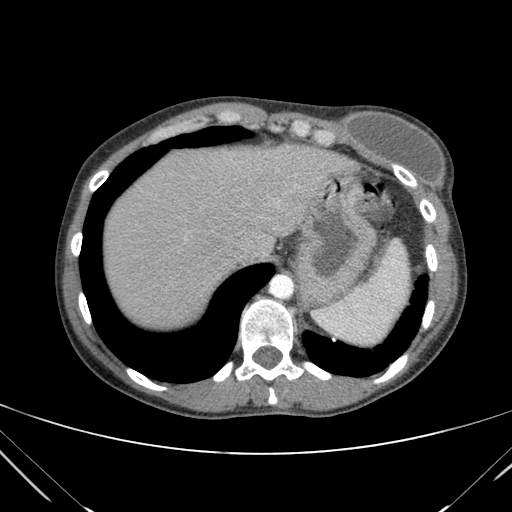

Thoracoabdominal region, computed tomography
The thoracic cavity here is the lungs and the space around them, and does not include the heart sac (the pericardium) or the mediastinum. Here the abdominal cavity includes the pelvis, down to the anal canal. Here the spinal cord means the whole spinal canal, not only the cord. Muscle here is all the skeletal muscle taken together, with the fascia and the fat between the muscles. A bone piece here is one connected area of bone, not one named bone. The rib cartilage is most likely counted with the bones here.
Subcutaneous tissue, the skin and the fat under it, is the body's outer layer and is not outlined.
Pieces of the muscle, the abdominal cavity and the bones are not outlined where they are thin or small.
Outlines (x, y in pixels):
breast implant: [[432,183],[435,183],[441,180],[443,165],[441,161],[438,147],[420,131],[404,121],[397,120],[393,118],[390,118],[371,112],[365,112],[343,119],[343,123],[346,132],[369,151],[398,166],[400,166],[408,170],[410,173],[413,174],[418,178]]
thoracic cavity 1: [[167,382],[209,377],[229,359],[240,313],[274,268],[266,263],[236,272],[193,328],[147,333],[132,326],[110,297],[101,269],[102,221],[114,198],[170,148],[249,136],[240,125],[212,125],[140,148],[93,194],[86,214],[79,264],[93,323],[127,365]]
thoracic cavity 2: [[356,377],[368,376],[384,370],[408,347],[420,325],[427,299],[427,274],[421,275],[416,281],[411,297],[411,304],[392,332],[383,344],[373,350],[359,349],[337,342],[333,343],[326,338],[308,331],[303,332],[300,336],[297,335],[309,360],[332,373]]
bones 1: [[214,381],[232,372],[238,380],[258,374],[266,381],[280,374],[292,380],[304,371],[323,380],[333,374],[308,360],[294,363],[291,351],[298,340],[293,314],[262,297],[241,313],[233,351],[241,351],[241,363],[236,367],[233,359],[228,360],[211,376]], around a hole outlined by [[268,369],[273,367],[279,362],[279,361],[281,359],[281,353],[276,348],[274,347],[271,347],[270,346],[268,347],[266,347],[265,346],[264,347],[261,347],[259,348],[254,353],[253,355],[253,358],[256,362],[257,362],[259,364],[262,365],[264,367]]
bones 2: [[142,147],[151,144],[155,144],[161,140],[172,136],[175,136],[181,133],[191,132],[206,127],[209,125],[209,123],[212,119],[210,117],[200,115],[196,117],[193,117],[189,119],[179,121],[168,126],[159,127],[153,131],[146,139],[142,142],[141,144]]
bones 3: [[325,146],[329,146],[334,142],[335,140],[335,134],[333,132],[323,129],[315,129],[312,131],[311,130],[311,126],[306,120],[296,119],[292,121],[290,124],[290,130],[297,136],[299,137],[306,137],[311,133],[312,137],[317,143],[320,145],[324,145]]
bones 4: [[373,383],[380,383],[381,382],[386,381],[388,379],[391,378],[397,372],[398,372],[405,365],[409,357],[409,352],[408,350],[407,349],[398,358],[397,358],[392,363],[391,363],[384,371],[384,372],[380,376],[375,378],[372,381]]
bones 5: [[157,391],[163,391],[164,390],[167,390],[167,387],[160,385],[154,382],[146,376],[143,375],[141,373],[138,372],[129,366],[127,366],[125,368],[125,371],[126,373],[130,377],[130,378],[131,378],[134,381],[147,388],[149,388],[152,390],[156,390]]
bones 6: [[412,188],[416,188],[418,185],[418,184],[417,183],[417,181],[416,180],[416,179],[413,176],[413,175],[410,174],[408,171],[407,171],[400,167],[398,167],[391,163],[389,163],[389,166],[390,167],[390,168],[391,169],[393,174],[405,186],[409,186]]
bones 7: [[219,124],[236,124],[241,121],[241,120],[242,119],[242,116],[238,112],[237,112],[236,111],[234,111],[233,110],[230,110],[229,109],[226,109],[225,110],[221,110],[220,111],[217,112],[214,116],[214,119],[215,119],[216,120],[216,121]]
bones 8: [[428,223],[431,223],[435,220],[435,219],[436,218],[436,212],[435,211],[435,209],[434,208],[432,203],[427,198],[426,198],[425,197],[421,197],[421,198],[419,201],[419,203],[418,204],[418,207],[419,208],[419,210],[420,211],[424,220]]
bones 9: [[91,193],[93,193],[104,182],[104,181],[108,177],[109,174],[111,172],[111,170],[110,169],[109,169],[108,168],[102,168],[101,169],[98,170],[92,176],[92,177],[91,178],[91,179],[89,182],[89,185],[88,186],[88,189],[89,190],[89,191]]
bones 10: [[430,272],[434,272],[436,270],[436,269],[437,268],[437,256],[436,255],[436,251],[435,250],[435,248],[433,246],[433,245],[431,243],[427,243],[426,244],[426,245],[425,246],[425,257],[426,258],[426,263],[427,264],[427,268],[428,269],[428,270]]
bones 11: [[419,330],[425,330],[427,329],[430,324],[430,322],[431,321],[431,319],[434,312],[434,306],[435,305],[434,304],[434,301],[433,299],[428,299],[426,302],[426,304],[425,305],[425,309],[422,316],[421,325],[420,326]]
bones 12: [[89,325],[92,324],[92,319],[90,315],[90,312],[89,311],[89,309],[87,305],[87,302],[86,301],[86,299],[85,298],[84,293],[82,289],[80,289],[78,291],[78,306],[79,307],[79,309],[81,312],[81,314],[84,320],[86,322],[86,323]]
abdominal cavity: [[368,349],[383,343],[410,304],[415,281],[427,273],[423,219],[391,174],[339,146],[246,128],[249,137],[170,149],[112,202],[103,221],[102,269],[118,310],[137,328],[175,333],[193,327],[228,277],[266,262],[285,265],[294,278],[298,335],[308,330]]
muscle 1: [[205,412],[246,405],[328,410],[361,400],[407,372],[444,327],[457,299],[458,266],[443,200],[434,186],[416,177],[416,189],[405,187],[417,204],[425,196],[437,212],[433,223],[424,221],[425,244],[431,242],[438,256],[437,270],[428,271],[428,298],[436,305],[429,328],[418,330],[406,365],[391,379],[373,384],[383,371],[361,378],[334,374],[323,381],[304,372],[292,381],[284,375],[271,382],[258,375],[238,381],[232,373],[221,382],[210,377],[191,383],[153,380],[168,387],[157,392],[129,378],[126,365],[93,324],[85,323],[77,306],[82,287],[78,258],[71,254],[69,242],[82,229],[92,196],[88,182],[102,167],[112,171],[159,126],[200,114],[213,119],[210,125],[218,124],[213,116],[226,108],[243,116],[237,124],[257,122],[266,129],[280,123],[282,132],[294,137],[289,124],[306,119],[312,130],[333,131],[332,145],[393,175],[389,162],[349,136],[341,119],[268,113],[244,102],[207,104],[170,117],[119,148],[82,186],[66,235],[62,275],[64,305],[75,333],[98,360],[135,389]], around a hole outlined by [[269,404],[275,404],[277,402],[277,398],[276,397],[276,396],[275,395],[275,394],[274,393],[274,391],[273,390],[273,388],[271,386],[269,386],[268,387],[268,390],[269,391],[269,397],[268,398],[268,403]]
muscle 2: [[297,364],[299,364],[300,363],[300,361],[302,359],[307,359],[305,356],[305,354],[303,350],[301,348],[299,344],[299,342],[297,343],[296,342],[295,343],[294,348],[292,351],[292,356],[293,357],[293,359],[295,363]]
torso: [[212,421],[269,415],[319,419],[350,413],[406,385],[445,347],[464,308],[468,274],[452,197],[453,160],[425,122],[380,104],[319,105],[213,95],[178,102],[132,122],[83,161],[66,202],[54,257],[55,296],[67,338],[86,367],[121,393],[174,415]]
mediastinum: [[290,310],[292,309],[294,303],[293,300],[293,278],[291,277],[291,275],[289,272],[287,271],[285,268],[285,266],[274,266],[275,268],[274,274],[267,283],[252,296],[247,302],[246,305],[248,305],[259,297],[265,296],[266,297],[273,298],[279,301]]
spinal cord: [[268,369],[273,367],[279,362],[279,361],[281,359],[281,353],[276,348],[274,347],[271,347],[270,346],[268,347],[266,347],[265,346],[264,347],[261,347],[259,348],[254,353],[253,355],[253,358],[256,362],[257,362],[259,364],[262,365],[264,367]]